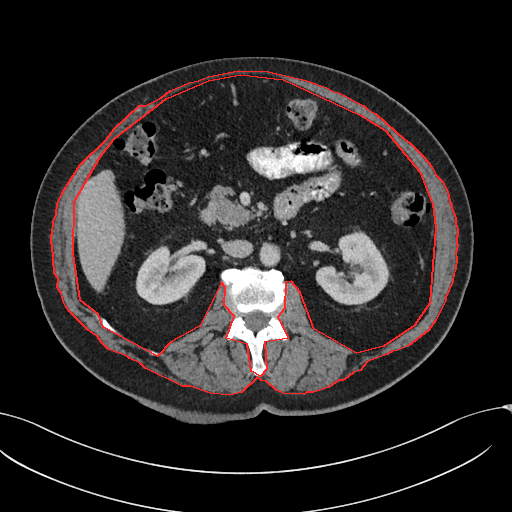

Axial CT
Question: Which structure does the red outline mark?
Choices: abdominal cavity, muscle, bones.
Answer: red: muscle.
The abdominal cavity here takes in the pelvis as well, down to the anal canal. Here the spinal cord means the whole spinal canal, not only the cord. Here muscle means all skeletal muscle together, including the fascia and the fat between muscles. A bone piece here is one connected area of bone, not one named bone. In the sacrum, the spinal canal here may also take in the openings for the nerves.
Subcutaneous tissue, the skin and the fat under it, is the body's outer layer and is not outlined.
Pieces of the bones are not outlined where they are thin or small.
The muscle is outlined by (238, 70) (268, 71) (306, 80) (326, 87) (333, 91) (338, 92) (363, 105) (366, 108) (375, 113) (404, 139) (409, 142) (423, 156) (431, 166) (435, 174) (441, 180) (447, 191) (449, 201) (451, 204) (451, 207) (455, 218) (455, 223) (457, 229) (457, 235) (456, 236) (456, 243) (457, 244) (455, 253) (456, 257) (455, 269) (453, 273) (452, 281) (445, 297) (445, 300) (435, 320) (428, 330) (407, 346) (397, 350) (391, 351) (387, 354) (370, 360) (366, 362) (360, 370) (353, 372) (347, 377) (342, 380) (338, 380) (328, 387) (313, 392) (306, 392) (303, 394) (283, 393) (276, 390) (266, 381) (261, 380) (257, 377) (241, 392) (229, 395) (210, 393) (190, 386) (182, 386) (145, 368) (140, 363) (129, 358) (127, 356) (108, 349) (101, 342) (97, 336) (88, 330) (69, 311) (66, 307) (63, 301) (61, 293) (57, 287) (58, 278) (54, 273) (52, 244) (51, 243) (51, 234) (52, 233) (53, 221) (56, 214) (57, 203) (62, 194) (62, 192) (80, 164) (106, 139) (114, 128) (139, 105) (145, 105) (161, 97) (170, 90) (189, 82) (198, 80) (208, 76), around a hole outlined by (240, 74) (283, 79) (359, 114) (385, 130) (419, 171) (432, 204) (435, 227) (429, 303) (414, 325) (383, 346) (356, 353) (314, 329) (300, 292) (291, 281) (285, 282) (284, 308) (277, 317) (288, 338) (264, 342) (266, 369) (260, 376) (251, 371) (247, 344) (226, 338) (234, 316) (224, 305) (225, 287) (221, 282) (199, 326) (170, 342) (157, 356) (103, 327) (98, 314) (80, 300) (73, 253) (74, 201) (100, 156) (114, 138) (166, 98) (208, 80). The abdominal cavity is outlined by (240, 74) (283, 79) (359, 114) (385, 130) (419, 171) (435, 227) (429, 303) (414, 325) (383, 346) (356, 353) (314, 329) (297, 286) (276, 268) (222, 269) (212, 305) (199, 326) (159, 351) (128, 339) (80, 300) (74, 201) (100, 156) (114, 138) (166, 98) (208, 80). The spinal cord is outlined by (253, 311) (260, 311) (266, 314) (268, 316) (268, 320) (267, 321) (267, 324) (265, 326) (262, 327) (260, 329) (256, 331) (254, 331) (246, 326) (245, 324) (245, 321) (243, 317) (243, 316) (245, 314) (247, 313) (249, 313) (250, 312) (252, 312). The torso is outlined by (239, 56) (287, 57) (332, 67) (371, 83) (413, 113) (447, 151) (462, 179) (473, 219) (473, 262) (461, 306) (444, 339) (387, 389) (328, 413) (282, 416) (262, 410) (248, 419) (187, 423) (103, 383) (60, 343) (33, 280) (30, 221) (50, 162) (102, 105) (178, 67). The bones appear in 2 outlined pieces: piece 1: (247, 266) (261, 270) (279, 270) (287, 285) (284, 308) (277, 317) (288, 338) (268, 339) (264, 342) (262, 357) (266, 369) (260, 376) (254, 375) (251, 371) (252, 358) (247, 344) (241, 339) (226, 338) (226, 332) (234, 316) (224, 305) (225, 287) (220, 273) (229, 267) with a hole at (253, 311) (260, 311) (266, 314) (268, 316) (268, 320) (267, 321) (267, 324) (265, 326) (262, 327) (260, 329) (256, 331) (254, 331) (246, 326) (245, 324) (245, 321) (243, 317) (243, 316) (245, 314) (247, 313) (249, 313) (250, 312) (252, 312); piece 2: (97, 315) (98, 315) (99, 316) (100, 316) (101, 317) (104, 318) (118, 332) (118, 334) (116, 334) (115, 333) (114, 333) (113, 332) (110, 331) (108, 329) (107, 329) (106, 328) (103, 327) (102, 326) (102, 325) (98, 321) (98, 320) (96, 318) (96, 316).